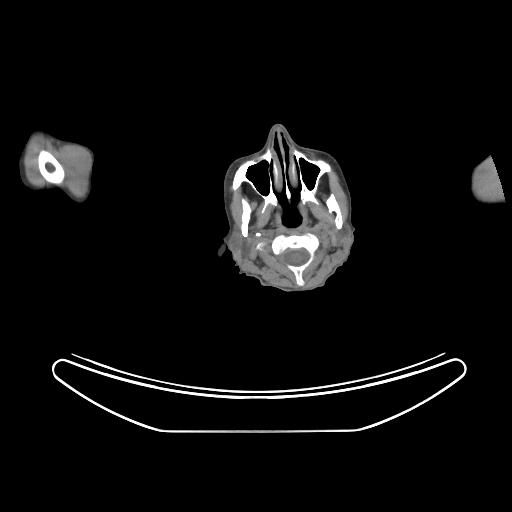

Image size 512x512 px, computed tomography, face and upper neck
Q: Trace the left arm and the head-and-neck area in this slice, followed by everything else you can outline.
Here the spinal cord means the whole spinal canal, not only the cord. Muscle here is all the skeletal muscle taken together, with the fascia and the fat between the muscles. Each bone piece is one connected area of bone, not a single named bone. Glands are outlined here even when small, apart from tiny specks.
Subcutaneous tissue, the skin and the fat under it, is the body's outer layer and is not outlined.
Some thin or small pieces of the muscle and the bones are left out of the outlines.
A: The left arm is outlined by 487 155; 490 155; 491 156; 493 163; 495 166; 495 169; 497 172; 497 175; 501 184; 501 188; 503 192; 503 195; 505 198; 505 204; 504 205; 494 205; 493 206; 480 205; 473 199; 471 195; 470 192; 470 174; 471 171; 473 167. The head and neck is outlined by 276 122; 282 123; 298 144; 324 150; 334 156; 342 168; 351 196; 351 220; 355 230; 350 254; 323 286; 309 291; 283 291; 262 285; 254 277; 238 272; 228 249; 216 256; 228 230; 223 201; 226 169; 234 159; 260 149; 269 128; inner edges: 283 139; 288 147; 288 183; 293 188; 298 187; 299 177; 295 158; 299 171; 300 188; 296 209; 301 221; 294 226; 286 225; 282 221; 285 208; 273 190; 270 172; 272 161; 274 190; 280 194; 284 186; 286 200; 292 199; 286 177, then 263 161; 266 162; 267 164; 267 168; 266 169; 267 175; 268 176; 268 191; 267 193; 262 193; 262 192; 260 191; 259 189; 258 189; 257 186; 254 183; 254 182; 248 176; 248 172; 250 168; 251 168; 252 166; 255 166, then 300 159; 305 160; 305 161; 307 163; 312 164; 313 165; 316 166; 319 169; 319 170; 317 173; 317 175; 316 176; 315 181; 314 182; 314 185; 312 188; 309 188; 306 185; 306 182; 303 177; 303 173; 301 170; 301 164; 300 163, then 276 138; 277 140; 277 143; 278 144; 279 153; 280 154; 280 159; 281 160; 281 164; 282 165; 282 168; 283 169; 284 175; 284 182; 285 184; 284 184; 284 179; 283 178; 283 173; 282 172; 282 166; 281 165; 281 162; 280 161; 279 156; 274 148; 274 140. The parotid glands appear in 2 outlined pieces: piece 1: 233 227; 235 227; 239 232; 239 234; 241 236; 241 241; 242 242; 242 243; 241 244; 241 247; 239 249; 239 250; 238 251; 235 251; 234 252; 234 251; 230 247; 230 246; 228 243; 228 240; 230 237; 230 234; 232 232; piece 2: 346 224; 348 224; 348 225; 349 226; 349 227; 350 228; 350 238; 348 240; 346 240; 345 239; 344 239; 344 238; 343 237; 343 236; 342 235; 343 234; 343 231; 344 230; 344 227; 345 226; 345 225. The bones appear in 6 outlined pieces: piece 1: 279 135; 285 154; 285 177; 291 199; 287 200; 284 185; 280 193; 274 188; 272 160; 269 165; 271 186; 279 203; 277 206; 269 204; 262 212; 263 198; 245 181; 233 190; 232 180; 243 161; 263 153; 273 142; 285 185; 277 139 with a hole at 263 161; 266 162; 267 164; 267 168; 266 169; 267 175; 268 176; 268 191; 267 193; 262 193; 262 192; 260 191; 259 189; 258 189; 257 186; 254 183; 254 182; 248 176; 248 172; 250 168; 251 168; 252 166; 255 166; piece 2: 306 232; 315 234; 318 238; 319 245; 312 262; 302 273; 304 284; 299 286; 296 284; 294 274; 287 268; 285 263; 299 266; 309 258; 309 252; 304 247; 288 247; 281 256; 276 255; 272 251; 271 242; 273 238; 279 234; 299 235; piece 3: 288 145; 303 152; 309 158; 323 159; 330 164; 332 171; 325 172; 319 179; 318 188; 315 193; 318 204; 311 201; 307 201; 303 204; 299 200; 299 192; 301 188; 300 171; 295 157; 294 162; 298 177; 297 187; 293 187; 289 183 with a hole at 300 159; 305 160; 305 161; 307 163; 312 164; 313 165; 316 166; 319 169; 319 170; 317 173; 317 175; 316 176; 315 181; 314 182; 314 185; 312 188; 309 188; 306 185; 306 182; 303 177; 303 173; 301 170; 301 164; 300 163; piece 4: 41 150; 46 150; 50 153; 51 153; 62 166; 64 170; 64 179; 62 183; 60 185; 56 185; 55 184; 49 183; 43 177; 43 176; 41 174; 39 170; 39 168; 38 167; 38 162; 37 161; 37 158; 38 157; 39 152; piece 5: 331 193; 333 193; 334 194; 335 199; 339 206; 339 209; 340 210; 340 212; 342 216; 342 220; 343 222; 342 223; 342 226; 340 229; 337 229; 335 225; 335 213; 333 211; 332 212; 330 212; 326 205; 326 200; 328 198; 329 195; piece 6: 242 198; 245 199; 247 201; 247 202; 249 204; 249 206; 251 208; 250 220; 248 223; 248 234; 246 237; 244 237; 242 235; 241 233; 241 230; 240 229; 240 226; 241 225; 241 216; 242 215; 242 203; 241 202; 241 199. The right arm is outlined by 36 128; 46 130; 59 138; 79 142; 88 146; 93 151; 94 153; 94 163; 92 172; 92 188; 91 193; 85 203; 83 204; 75 203; 66 197; 65 195; 55 189; 49 191; 32 191; 25 187; 21 182; 18 173; 18 161; 31 133. The muscle appears in 3 outlined pieces: piece 1: 332 166; 339 177; 348 207; 347 223; 341 235; 344 240; 349 240; 349 244; 343 259; 320 283; 307 288; 272 285; 259 275; 244 270; 235 255; 243 242; 230 211; 229 184; 232 173; 233 191; 243 182; 247 183; 262 198; 262 213; 269 205; 277 207; 281 204; 284 208; 282 223; 294 227; 302 221; 297 209; 299 201; 303 205; 307 202; 319 204; 316 193; 320 179; 325 173; 333 171 with holes at 306 232; 315 234; 318 238; 319 245; 315 252; 312 262; 302 273; 302 278; 304 281; 304 284; 302 286; 299 286; 296 284; 294 274; 287 268; 282 257; 273 253; 271 248; 271 242; 273 238; 279 234; 285 235; 297 234; 299 235 and at 331 193; 333 193; 334 194; 335 199; 339 206; 339 209; 340 210; 340 212; 342 216; 342 220; 343 222; 342 223; 342 226; 340 229; 337 229; 335 225; 335 213; 333 211; 332 212; 330 212; 326 205; 326 200; 328 198; 329 195 and at 242 198; 245 199; 247 201; 247 202; 249 204; 249 206; 251 208; 250 220; 248 223; 248 234; 246 237; 244 237; 242 235; 241 233; 241 230; 240 229; 240 226; 241 225; 241 216; 242 215; 242 203; 241 202; 241 199 and at 260 242; 261 242; 262 242; 263 242; 264 243; 264 244; 263 245; 263 246; 262 247; 262 248; 262 249; 261 250; 260 250; 259 250; 258 249; 257 248; 256 247; 257 246; 257 245; 258 244; 259 243; piece 2: 39 134; 54 142; 77 145; 89 153; 91 161; 87 191; 82 197; 76 197; 65 187; 61 186; 65 179; 65 170; 55 156; 46 149; 41 149; 38 152; 36 161; 40 174; 48 184; 36 186; 27 180; 24 168; 25 154; 33 138; piece 3: 485 161; 488 161; 490 162; 490 165; 492 168; 492 170; 494 172; 494 176; 496 178; 497 182; 499 184; 499 189; 501 192; 501 198; 499 200; 486 200; 485 199; 483 199; 481 198; 476 192; 476 189; 475 188; 475 175; 479 166. The spinal cord is outlined by 288 248; 290 248; 291 249; 298 249; 299 248; 304 248; 308 252; 308 258; 303 263; 302 263; 299 265; 295 265; 294 264; 291 264; 290 263; 285 262; 284 261; 284 260; 283 259; 282 259; 282 255; 284 253; 284 252.